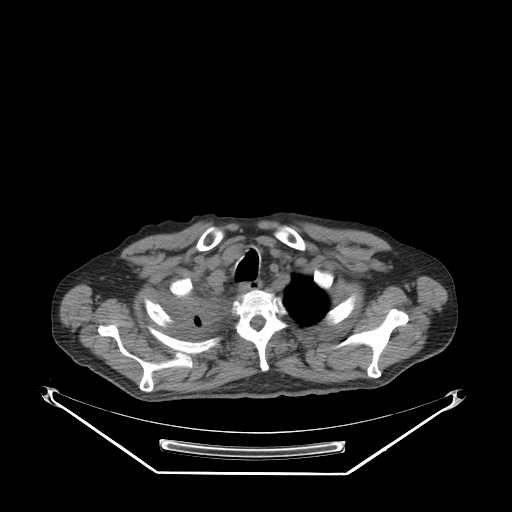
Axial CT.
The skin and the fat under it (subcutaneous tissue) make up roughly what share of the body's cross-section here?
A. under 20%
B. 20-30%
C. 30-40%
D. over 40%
B. 20-30%
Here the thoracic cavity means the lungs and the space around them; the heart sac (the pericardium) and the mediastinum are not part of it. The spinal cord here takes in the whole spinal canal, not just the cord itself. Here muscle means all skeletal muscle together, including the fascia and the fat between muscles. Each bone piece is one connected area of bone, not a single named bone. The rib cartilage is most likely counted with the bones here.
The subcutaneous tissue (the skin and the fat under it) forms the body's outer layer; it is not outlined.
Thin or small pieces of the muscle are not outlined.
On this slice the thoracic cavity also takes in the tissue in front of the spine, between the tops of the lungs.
{"muscle":[{"outer":[[200,220],[301,220],[364,230],[392,248],[382,257],[389,269],[369,280],[371,292],[427,275],[448,298],[423,347],[382,373],[380,355],[393,330],[409,321],[405,311],[392,307],[376,327],[332,347],[368,346],[371,378],[320,383],[268,371],[267,344],[290,326],[286,318],[302,326],[322,319],[335,325],[349,316],[356,296],[331,307],[331,272],[316,267],[304,274],[278,247],[234,243],[205,262],[198,285],[189,276],[171,281],[165,310],[143,299],[159,327],[201,340],[147,324],[173,357],[145,360],[124,346],[114,323],[97,326],[100,336],[113,338],[141,366],[137,386],[73,338],[59,318],[61,300],[80,283],[103,297],[129,299],[141,280],[119,258],[122,250]],"holes":[[[282,224],[286,224],[288,225],[290,227],[293,228],[299,234],[299,235],[303,239],[305,243],[305,249],[304,250],[299,250],[298,249],[293,248],[285,244],[283,242],[280,241],[274,236],[273,234],[274,231],[279,225],[281,225]],[[211,226],[217,226],[219,227],[224,232],[224,237],[222,239],[222,240],[217,245],[216,245],[211,249],[209,249],[205,251],[199,251],[196,248],[196,243],[198,239],[200,237],[200,236],[205,231],[205,230],[206,230],[209,227]]]},[[232,317],[235,320],[233,323],[235,332],[254,345],[258,365],[262,372],[227,382],[210,390],[189,392],[159,390],[153,392],[155,385],[153,373],[155,371],[173,367],[191,369],[193,367],[191,355],[216,347],[222,338],[219,335],[212,336],[228,324]]],"spinal_cord":[[[255,316],[261,316],[265,320],[265,322],[264,323],[264,324],[263,325],[263,326],[259,330],[256,330],[255,329],[254,329],[251,326],[251,325],[250,324],[250,322],[251,321],[251,320],[252,319],[252,318],[253,317],[254,317]]],"bones":[{"outer":[[255,288],[281,296],[282,303],[288,312],[288,316],[285,319],[289,326],[276,331],[266,344],[265,356],[269,366],[267,371],[262,371],[260,368],[259,356],[255,345],[251,341],[241,337],[236,332],[234,328],[236,320],[231,314],[232,302],[240,294]],"hole":[[255,316],[261,316],[265,320],[265,322],[264,323],[264,324],[263,325],[263,326],[259,330],[256,330],[255,329],[254,329],[251,326],[251,325],[250,324],[250,322],[251,321],[251,320],[252,319],[252,318],[253,317],[254,317]]},[[109,324],[117,327],[121,342],[130,353],[148,362],[171,359],[175,351],[154,337],[147,325],[186,341],[215,336],[221,339],[216,346],[191,354],[191,368],[155,370],[153,389],[146,392],[138,386],[142,366],[124,355],[113,337],[99,334],[98,326]],[[392,308],[405,312],[409,319],[405,324],[399,325],[392,330],[377,362],[381,375],[377,378],[372,378],[368,376],[366,370],[371,362],[373,353],[372,349],[368,345],[347,344],[338,348],[333,347],[354,333],[376,328],[385,319],[389,310]],[[282,224],[286,224],[288,225],[290,227],[293,228],[299,234],[299,235],[303,239],[305,243],[305,249],[304,250],[299,250],[298,249],[293,248],[285,244],[283,242],[280,241],[274,236],[273,234],[274,231],[279,225],[281,225]],[[351,295],[354,295],[355,296],[355,301],[354,302],[354,306],[353,307],[353,309],[350,312],[350,313],[347,317],[344,318],[342,320],[341,320],[339,322],[335,324],[329,324],[323,320],[323,318],[324,316],[331,308],[336,306],[346,298],[347,298]],[[211,226],[217,226],[219,227],[224,232],[224,237],[222,239],[222,240],[217,245],[216,245],[211,249],[209,249],[205,251],[199,251],[196,248],[196,243],[198,239],[200,237],[200,236],[205,231],[205,230],[206,230],[209,227]],[[145,298],[149,298],[153,301],[155,302],[157,302],[170,316],[170,317],[173,320],[173,321],[171,323],[169,323],[167,327],[164,328],[161,326],[159,326],[149,317],[149,316],[146,312],[146,310],[144,306],[144,299]],[[184,277],[189,277],[190,278],[191,280],[191,282],[192,283],[192,285],[193,286],[193,288],[189,293],[183,296],[178,297],[174,294],[173,294],[171,292],[169,288],[169,286],[170,285],[170,283],[174,280],[176,280],[180,278],[183,278]],[[316,268],[321,271],[326,271],[327,272],[329,272],[333,275],[333,281],[332,282],[332,284],[329,288],[329,289],[327,291],[326,291],[325,290],[322,289],[320,287],[319,287],[314,282],[314,281],[313,280],[313,272]]],"thoracic_cavity":[[[248,241],[285,252],[298,272],[312,276],[313,282],[325,291],[330,308],[319,321],[302,325],[289,315],[281,295],[255,287],[231,302],[231,319],[210,337],[179,336],[168,326],[174,321],[166,311],[171,296],[189,294],[203,281],[206,262],[228,246]]],"torso":[[[274,211],[372,225],[431,254],[448,269],[458,304],[452,340],[444,350],[412,365],[389,383],[374,389],[321,395],[148,402],[78,365],[54,342],[50,308],[61,279],[91,258],[113,249],[145,224],[166,219],[187,221],[194,215],[210,212],[248,217]]]}